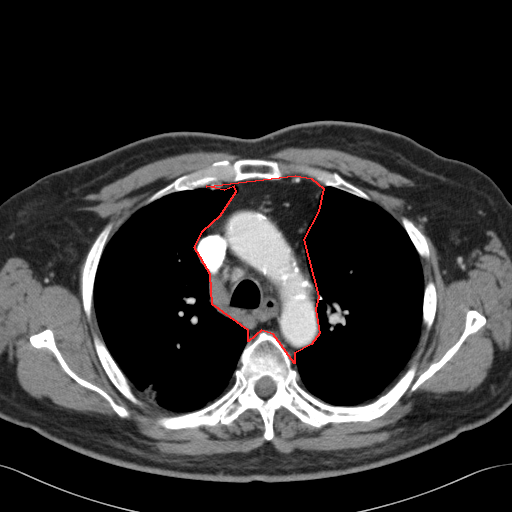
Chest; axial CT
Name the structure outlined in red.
red: mediastinum.
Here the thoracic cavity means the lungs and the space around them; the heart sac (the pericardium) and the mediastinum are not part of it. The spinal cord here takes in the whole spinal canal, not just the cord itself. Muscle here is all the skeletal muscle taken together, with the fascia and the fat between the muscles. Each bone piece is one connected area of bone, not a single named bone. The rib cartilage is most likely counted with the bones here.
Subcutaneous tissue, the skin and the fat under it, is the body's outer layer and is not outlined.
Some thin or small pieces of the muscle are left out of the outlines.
Outlines:
mediastinum: 295,175 311,178 323,188 318,211 303,239 318,296 315,309 319,333 311,344 294,353 294,363 273,334 261,330 248,341 248,330 212,304 210,274 194,247 203,230 220,215 236,191 234,186 224,190 206,186
thoracic cavity 1: 204,187 211,191 235,188 219,215 202,230 193,250 209,274 209,301 224,316 245,328 248,339 231,386 207,405 180,413 161,407 133,387 111,355 96,318 94,283 106,244 134,212 166,195
thoracic cavity 2: 324,186 372,201 390,214 406,232 422,268 422,323 417,343 397,381 385,393 365,404 333,405 319,399 298,383 299,373 292,366 295,353 311,345 320,333 316,309 319,296 310,273 304,239 310,222 319,211
bones 1: 471,309 485,324 415,390 369,421 315,427 282,406 268,441 261,415 250,408 229,425 167,429 157,423 225,393 244,347 261,331 289,353 297,383 314,397 333,406 371,403 412,363 415,380 437,362 459,339 with a hole at 265,376 268,376 274,382 274,383 275,384 275,390 274,391 274,392 272,394 272,395 271,395 266,398 264,398 263,397 261,397 260,396 259,396 255,391 255,386 256,385 256,383 261,378 262,378
bones 2: 243,158 260,158 280,164 303,165 336,172 367,194 371,200 330,185 324,185 306,175 291,172 279,179 249,178 221,181 203,187 175,191 144,205 144,202 154,193 183,175 201,170 216,161 228,160 233,163
bones 3: 108,222 112,222 113,224 108,235 108,240 105,244 101,253 95,272 95,277 93,283 93,296 92,297 91,315 90,318 88,319 84,311 83,301 82,300 82,271 88,250 90,249 92,243 100,233 100,231
bones 4: 45,329 50,329 52,331 56,347 68,366 79,377 103,390 118,405 125,408 129,412 128,417 120,417 109,402 99,393 81,385 72,378 62,368 55,355 48,348 36,348 30,343 29,338 31,335
bones 5: 94,334 96,334 103,340 104,344 108,350 110,355 128,380 131,386 132,391 134,394 142,401 143,404 141,406 133,403 124,396 110,380 109,377 104,370 97,355 97,353 94,346 94,342 93,341 93,336
bones 6: 430,280 432,280 435,285 435,289 436,290 436,309 435,310 434,319 431,325 431,327 430,329 427,331 426,329 426,326 422,322 422,317 423,316 423,301 424,300 424,289 425,288 425,285 427,282
bones 7: 403,216 405,216 409,219 410,219 425,236 426,240 427,241 427,245 428,246 428,249 429,250 429,257 428,258 421,257 416,250 411,239 409,237 407,232 405,230 405,229 403,227 401,223 401,218
spinal cord: 265,376 268,376 274,382 274,383 275,384 275,390 274,391 274,392 272,394 272,395 271,395 266,398 264,398 263,397 261,397 260,396 259,396 255,391 255,386 256,385 256,383 261,378 262,378
torso: 326,119 362,122 392,130 440,155 469,163 487,174 511,203 511,404 505,410 449,441 394,463 335,477 282,482 206,481 133,470 86,456 30,428 0,417 1,203 49,173 153,134 193,130 254,138 291,124
muscle 1: 200,150 242,158 216,160 177,177 149,196 109,239 114,223 108,221 87,250 81,271 83,311 89,320 93,306 101,335 93,334 93,346 109,380 137,406 144,403 132,387 179,413 160,415 157,424 167,430 229,426 250,409 262,419 267,441 248,452 172,455 141,444 100,417 48,404 20,385 0,359 0,269 10,257 51,255 86,195 150,162, around a hole outlined by 45,329 50,329 52,331 56,347 68,366 79,377 103,390 118,405 125,408 129,412 128,417 120,417 109,402 99,393 81,385 72,378 62,368 55,355 48,348 36,348 30,343 29,338 31,335
muscle 2: 287,147 344,151 410,178 432,215 453,225 493,231 511,259 509,347 472,391 417,409 383,443 282,453 269,442 275,435 276,411 282,407 315,428 379,418 437,372 487,319 468,309 461,334 437,361 415,379 416,361 401,375 422,324 428,332 436,315 436,285 432,279 425,284 420,259 430,257 427,238 410,218 403,215 400,223 336,171 261,158